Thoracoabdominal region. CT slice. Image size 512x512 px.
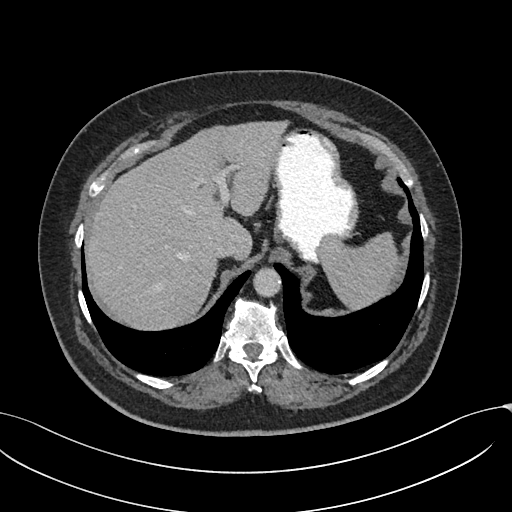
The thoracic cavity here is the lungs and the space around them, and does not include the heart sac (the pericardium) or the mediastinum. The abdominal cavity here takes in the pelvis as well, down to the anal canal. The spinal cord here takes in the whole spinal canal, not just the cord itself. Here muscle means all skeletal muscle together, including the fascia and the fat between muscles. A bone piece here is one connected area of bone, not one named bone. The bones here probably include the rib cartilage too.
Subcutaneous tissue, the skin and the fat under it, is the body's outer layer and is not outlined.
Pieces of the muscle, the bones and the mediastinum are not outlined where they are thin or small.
The torso is outlined by 242,69 322,72 385,95 419,124 447,172 462,229 457,299 429,377 414,394 394,406 343,424 297,433 185,433 152,426 118,411 80,379 62,352 41,290 37,237 44,198 66,147 94,115 129,93 180,77. The thoracic cavity appears in 2 outlined pieces: piece 1: 398,177 410,192 423,241 424,273 413,314 389,354 364,370 331,374 314,369 293,352 280,322 284,321 284,288 274,264 281,264 297,278 300,307 310,315 345,316 393,294 406,275 413,232 407,197 398,183; piece 2: 82,247 87,287 97,307 110,320 144,332 171,330 196,321 214,305 234,279 249,270 249,275 228,307 229,316 223,322 223,330 212,357 204,365 189,373 160,377 137,371 114,356 105,345 92,319 82,289. The muscle appears in 2 outlined pieces: piece 1: 249,99 279,99 280,100 298,100 304,102 312,102 322,106 325,106 330,109 343,112 360,123 383,134 395,143 405,153 406,156 409,158 418,175 424,195 426,198 427,205 435,218 434,234 436,238 436,241 434,251 435,257 434,265 436,269 435,271 436,290 431,320 429,324 428,331 424,339 411,355 397,369 388,374 377,383 370,386 351,398 333,405 329,405 325,407 318,407 309,409 306,408 294,410 283,408 277,404 273,404 269,402 264,396 261,397 258,395 253,395 249,393 235,401 215,408 209,408 203,410 202,409 190,409 172,406 152,397 147,393 135,389 111,375 95,360 91,353 78,341 75,333 72,306 70,301 70,293 69,292 69,275 71,270 71,266 70,265 70,256 68,246 68,230 70,220 72,218 78,204 80,191 84,182 91,171 110,151 122,141 171,113 213,103 234,102, around a hole outlined by 255,105 295,112 340,136 336,129 357,130 391,148 413,180 411,198 428,226 426,296 386,366 354,385 346,381 357,371 331,374 305,363 298,369 280,356 258,372 261,391 249,391 248,372 225,355 164,377 171,387 153,387 113,355 79,305 82,262 74,236 103,192 91,197 89,186 132,145 169,139 118,162 107,184 166,147 180,126 216,110; piece 2: 342,136 343,136 346,138 347,137 348,138 351,138 351,139 352,140 353,139 358,139 359,140 360,140 361,141 361,142 364,145 365,145 366,146 367,146 368,147 369,147 370,148 373,149 371,149 368,147 366,147 365,146 363,146 362,145 360,145 357,143 355,143 354,142 352,142 351,141 350,141 348,139 347,139 346,138 345,138. The mediastinum is outlined by 264,261 272,262 274,268 281,278 283,288 283,297 282,298 283,321 279,321 278,319 277,312 279,307 274,302 270,301 268,304 265,304 256,299 248,299 242,296 236,297 241,287 250,275 250,270 256,264. The abdominal cavity is outlined by 255,105 295,112 393,164 412,223 399,287 357,311 315,315 301,307 298,278 281,263 264,260 240,273 201,317 185,325 144,331 110,319 90,293 83,247 85,227 106,185 121,170 166,147 180,126 216,110. The bones appear in 9 outlined pieces: piece 1: 237,297 277,305 277,319 283,326 289,347 304,366 298,369 281,356 275,362 265,364 257,375 256,384 261,388 260,392 248,390 251,379 240,363 231,361 226,355 216,362 212,361 224,322 230,316 with a hole at 249,343 258,343 262,346 262,349 261,351 256,357 256,359 254,360 252,360 248,358 248,355 247,353 244,350 244,348 243,347 244,345 246,344 248,344; piece 2: 340,128 349,128 369,134 387,144 407,168 413,180 412,187 409,189 404,184 398,172 394,167 394,164 385,155 364,144 358,138 352,139 351,137 347,136 346,137 342,135 341,133 336,130; piece 3: 170,134 171,135 169,139 166,139 164,141 158,142 140,153 129,157 123,161 118,162 111,170 103,189 95,197 91,197 89,195 88,192 89,191 90,184 123,151 130,146 138,143 150,141 151,140 163,140; piece 4: 386,357 389,357 390,358 388,363 381,371 380,371 374,376 371,377 367,380 365,380 362,382 357,383 354,385 350,385 346,381 348,379 352,377 354,377 357,374 364,371 366,369 369,368 374,364 379,362; piece 5: 136,372 140,372 141,373 147,374 151,376 155,376 156,377 159,377 160,378 166,379 171,382 173,382 173,385 171,387 165,388 164,389 159,389 158,388 153,387 136,378 134,376 134,373; piece 6: 426,271 429,271 430,273 430,283 429,284 429,287 428,288 426,296 421,306 415,313 414,312 418,302 418,299 419,298 419,295 420,294 420,291 422,286 422,282 423,281 424,274; piece 7: 79,288 81,288 82,290 82,292 83,293 83,295 85,299 85,302 86,303 86,305 87,306 89,314 96,328 96,330 93,329 93,328 88,323 81,310 81,308 79,305 78,298 77,297 77,290; piece 8: 80,223 83,223 83,224 84,225 84,233 83,234 83,239 82,240 82,246 81,247 81,248 77,248 75,245 75,241 74,240 74,236 75,235 75,233 76,232 76,230 78,227 78,225; piece 9: 420,212 423,214 423,215 424,216 424,218 425,219 425,220 427,223 427,225 428,226 428,234 427,235 427,237 426,238 426,239 424,241 422,238 422,235 421,234 421,229 420,228 420,221 419,220 419,213. The spinal cord is outlined by 249,343 258,343 262,346 262,349 261,351 256,357 256,359 254,360 252,360 248,358 248,355 247,353 244,350 244,348 243,347 244,345 246,344 248,344.